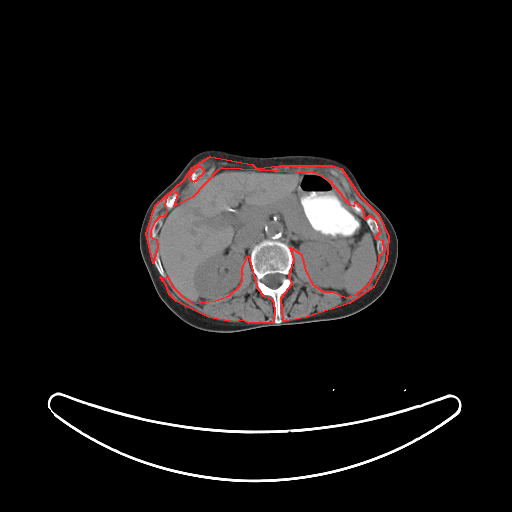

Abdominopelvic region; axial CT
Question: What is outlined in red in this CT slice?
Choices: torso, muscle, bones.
Answer: red: muscle.
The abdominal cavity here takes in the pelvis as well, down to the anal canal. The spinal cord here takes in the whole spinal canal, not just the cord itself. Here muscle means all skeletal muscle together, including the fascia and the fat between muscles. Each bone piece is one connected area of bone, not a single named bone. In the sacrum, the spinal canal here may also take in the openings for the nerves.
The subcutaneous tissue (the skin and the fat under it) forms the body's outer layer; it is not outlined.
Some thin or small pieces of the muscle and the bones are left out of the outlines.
The muscle appears in 2 outlined pieces: piece 1: 210,156 252,164 256,168 279,165 332,165 341,168 359,195 378,214 388,236 386,261 373,287 349,303 306,317 283,321 281,297 292,283 289,275 294,259 290,247 301,254 305,271 312,284 323,291 332,291 346,297 357,293 369,283 378,267 379,255 384,251 383,241 375,238 380,231 377,221 369,215 365,219 363,209 358,204 354,202 353,206 350,205 329,180 315,173 222,168 217,170 192,197 174,206 178,194 176,192 166,196 164,205 167,211 163,217 160,216 154,222 150,230 150,236 156,239 157,246 153,263 146,233 155,205 184,179 192,167, around a hole outlined by 198,166 200,166 201,167 202,167 202,168 203,169 203,172 202,173 202,174 200,176 199,176 195,181 194,181 193,182 191,180 191,179 190,178 190,175 191,174 191,173 194,170 194,169 196,167 197,167; piece 2: 248,256 257,288 263,295 272,299 274,309 273,322 248,323 242,320 234,322 208,317 176,301 169,294 166,285 160,277 166,278 167,276 171,285 182,296 193,303 215,300 229,295 240,285 242,281 242,267. The torso is outlined by 208,147 223,147 256,156 316,154 337,159 345,164 366,195 389,218 397,234 397,263 389,284 381,296 366,308 347,317 237,332 198,329 174,314 158,296 142,259 139,249 140,227 150,202 176,177 194,154. The bones appear in 6 outlined pieces: piece 1: 273,237 288,245 291,250 293,259 288,275 291,280 290,286 288,290 280,297 280,315 282,319 280,323 274,323 275,309 273,299 260,291 256,284 256,276 250,265 250,254 253,247 259,242 265,239 271,239; inner edge: 269,274 281,274 282,275 283,275 283,277 281,280 281,282 280,283 280,284 276,288 272,288 271,287 270,287 269,286 268,286 267,285 266,285 262,281 262,280 263,279 263,278 266,275 268,275; piece 2: 157,252 159,254 159,258 160,259 160,261 161,262 161,265 163,268 163,270 165,273 165,275 166,276 166,277 163,277 160,275 160,274 158,272 158,271 157,270 157,269 154,264 154,258 155,257 155,254; piece 3: 369,216 370,217 371,217 374,220 375,220 376,221 376,222 378,224 378,227 379,228 379,231 377,233 376,233 375,234 374,234 372,232 372,231 370,229 370,228 366,221 366,219 367,218 367,217 368,217; piece 4: 198,166 200,166 201,167 202,167 202,168 203,169 203,172 202,173 202,174 200,176 199,176 195,181 194,181 193,182 191,180 191,179 190,178 190,175 191,174 191,173 194,170 194,169 196,167 197,167; piece 5: 176,193 177,194 177,198 176,199 176,200 175,201 175,203 173,205 173,206 171,208 170,208 169,209 168,209 166,207 166,206 165,205 165,198 166,197 170,197 171,196 172,196 174,194 175,194; piece 6: 160,217 161,217 162,218 162,220 161,221 161,224 159,226 159,227 157,230 157,233 156,234 156,236 154,238 153,238 151,236 151,230 152,229 152,228 153,227 153,226 154,225 154,224 155,223 155,222. The abdominal cavity is outlined by 222,169 274,170 323,176 363,217 374,235 378,261 368,283 350,296 323,290 310,281 302,254 273,236 252,247 241,267 241,281 229,294 197,302 182,295 172,285 162,265 156,238 158,230 168,210 196,195. The spinal cord is outlined by 269,274 281,274 282,275 283,275 283,277 281,280 281,282 280,283 280,284 276,288 272,288 271,287 270,287 269,286 268,286 267,285 266,285 262,281 262,280 263,279 263,278 266,275 268,275.